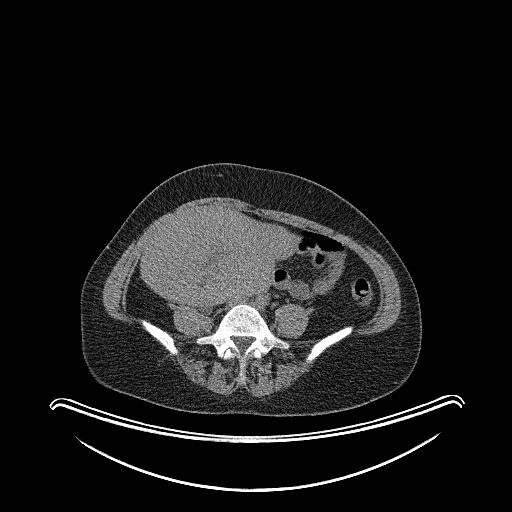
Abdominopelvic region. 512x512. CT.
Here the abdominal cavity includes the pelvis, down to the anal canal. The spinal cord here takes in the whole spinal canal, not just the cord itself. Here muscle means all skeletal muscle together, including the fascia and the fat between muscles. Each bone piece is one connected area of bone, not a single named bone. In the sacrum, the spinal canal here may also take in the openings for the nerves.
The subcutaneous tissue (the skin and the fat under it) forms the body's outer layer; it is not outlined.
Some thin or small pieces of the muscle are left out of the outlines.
The torso is outlined by (218, 162) (279, 170) (315, 181) (350, 202) (385, 236) (414, 282) (421, 311) (419, 356) (411, 374) (401, 386) (363, 405) (317, 415) (204, 414) (166, 408) (114, 391) (102, 386) (90, 375) (82, 356) (80, 334) (80, 294) (90, 267) (132, 210) (157, 185) (188, 168). The spinal cord is outlined by (241, 336) (242, 336) (243, 337) (250, 337) (251, 338) (252, 338) (253, 339) (252, 340) (252, 341) (250, 343) (250, 344) (243, 351) (241, 351) (238, 348) (238, 347) (236, 345) (236, 344) (235, 343) (235, 342) (233, 340) (233, 339) (232, 338) (232, 337) (240, 337). The bones appear in 3 outlined pieces: piece 1: (239, 303) (255, 307) (269, 329) (277, 337) (287, 341) (289, 344) (286, 349) (274, 347) (261, 358) (249, 357) (244, 368) (245, 383) (239, 376) (239, 361) (237, 358) (220, 358) (211, 344) (198, 344) (196, 342) (197, 338) (212, 333) (218, 327) (224, 314) (232, 306), around a hole outlined by (241, 336) (242, 336) (243, 337) (250, 337) (251, 338) (252, 338) (253, 339) (252, 340) (252, 341) (250, 343) (250, 344) (243, 351) (241, 351) (238, 348) (238, 347) (236, 345) (236, 344) (235, 343) (235, 342) (233, 340) (233, 339) (232, 338) (232, 337) (240, 337); piece 2: (348, 325) (352, 325) (354, 327) (352, 332) (350, 334) (342, 338) (339, 341) (327, 347) (318, 356) (317, 356) (312, 362) (307, 363) (305, 361) (305, 357) (309, 352) (311, 347) (315, 343) (327, 335) (329, 335) (339, 330) (341, 328) (343, 328) (345, 326) (347, 326); piece 3: (139, 318) (143, 318) (152, 323) (154, 325) (157, 326) (159, 328) (162, 329) (164, 331) (167, 332) (173, 338) (174, 340) (174, 343) (178, 350) (178, 353) (176, 355) (173, 355) (171, 354) (170, 352) (167, 350) (166, 348) (157, 339) (152, 336) (143, 327) (138, 320). The abdominal cavity is outlined by (210, 203) (323, 235) (354, 251) (377, 280) (373, 317) (303, 341) (296, 339) (308, 325) (309, 312) (297, 303) (280, 305) (269, 327) (259, 310) (245, 302) (232, 305) (217, 325) (196, 308) (181, 305) (172, 314) (180, 334) (130, 312) (130, 279) (156, 228) (190, 206). The muscle is outlined by (217, 196) (220, 197) (231, 197) (247, 202) (256, 207) (260, 207) (266, 209) (280, 210) (295, 215) (298, 215) (307, 219) (315, 221) (320, 224) (325, 225) (330, 228) (332, 228) (342, 234) (350, 236) (353, 239) (357, 240) (362, 244) (366, 244) (373, 248) (390, 265) (398, 281) (398, 284) (400, 288) (400, 295) (401, 296) (401, 309) (397, 321) (388, 329) (382, 332) (376, 333) (372, 335) (365, 335) (364, 336) (353, 337) (342, 343) (340, 343) (336, 346) (334, 346) (329, 351) (324, 353) (315, 362) (313, 366) (307, 372) (304, 373) (290, 387) (275, 392) (268, 396) (256, 397) (251, 395) (243, 389) (242, 390) (238, 390) (227, 396) (225, 396) (214, 393) (204, 387) (202, 387) (191, 382) (186, 378) (186, 376) (182, 371) (169, 358) (166, 357) (166, 352) (141, 329) (136, 327) (133, 324) (132, 325) (129, 325) (119, 320) (116, 320) (108, 315) (103, 305) (102, 292) (103, 291) (104, 283) (107, 277) (116, 262) (121, 256) (122, 253) (126, 249) (125, 248) (143, 229) (149, 225) (155, 219) (158, 218) (163, 214) (173, 210) (176, 207) (183, 203) (199, 198) (216, 197); inner edge: (210, 203) (323, 235) (354, 251) (377, 280) (379, 303) (373, 317) (307, 363) (305, 357) (320, 339) (296, 340) (308, 325) (309, 312) (297, 303) (280, 305) (269, 329) (289, 347) (274, 347) (261, 358) (249, 357) (243, 383) (237, 358) (220, 358) (211, 344) (196, 342) (218, 327) (214, 319) (194, 307) (181, 305) (172, 314) (180, 334) (168, 333) (178, 350) (176, 355) (171, 354) (143, 327) (140, 317) (128, 310) (128, 286) (156, 228) (190, 206).